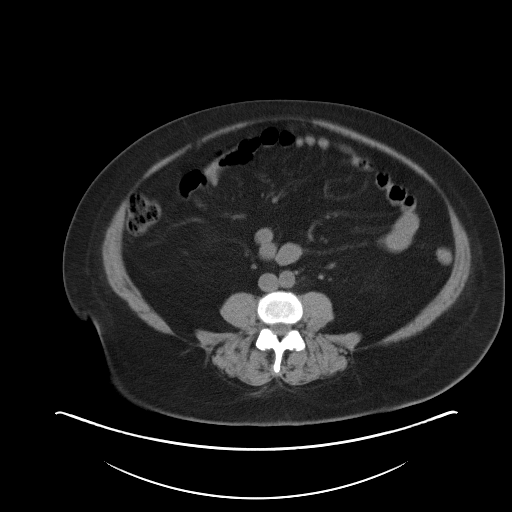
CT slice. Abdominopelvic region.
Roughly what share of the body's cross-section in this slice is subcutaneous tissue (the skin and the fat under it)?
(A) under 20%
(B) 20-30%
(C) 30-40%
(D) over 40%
Answer: (C) 30-40%
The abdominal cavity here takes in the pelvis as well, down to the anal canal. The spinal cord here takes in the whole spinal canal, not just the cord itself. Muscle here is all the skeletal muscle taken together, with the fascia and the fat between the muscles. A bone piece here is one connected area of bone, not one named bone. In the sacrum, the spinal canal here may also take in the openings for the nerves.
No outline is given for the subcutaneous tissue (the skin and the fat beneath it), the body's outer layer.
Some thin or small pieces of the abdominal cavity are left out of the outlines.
Outlined structures:
bones: [[277,290],[290,291],[301,301],[303,313],[294,326],[299,331],[305,347],[299,351],[286,349],[282,354],[279,372],[275,373],[272,367],[275,359],[274,351],[271,348],[261,350],[256,347],[255,342],[259,331],[264,326],[257,314],[258,300],[263,295]], around a hole outlined by [[277,323],[283,323],[284,324],[286,324],[290,326],[290,328],[289,330],[283,336],[281,336],[280,337],[278,336],[275,333],[273,332],[273,331],[270,327],[271,325],[273,325]]
torso: [[264,98],[335,101],[393,117],[447,149],[481,188],[502,242],[504,311],[484,357],[447,390],[419,403],[346,420],[232,426],[145,411],[116,397],[105,384],[97,332],[72,311],[62,279],[64,240],[80,198],[113,157],[155,127],[203,108]]
muscle: [[281,115],[292,115],[293,116],[302,116],[307,118],[317,118],[339,124],[342,126],[352,129],[368,137],[375,139],[382,143],[384,143],[417,163],[435,180],[447,196],[454,209],[454,211],[456,213],[467,234],[469,239],[470,253],[471,254],[470,273],[462,292],[451,307],[440,315],[428,327],[414,336],[404,340],[401,340],[398,342],[392,343],[387,346],[379,346],[355,352],[353,354],[353,362],[350,364],[344,373],[332,383],[328,385],[320,386],[314,389],[295,389],[286,386],[275,379],[273,379],[264,385],[261,385],[257,387],[238,387],[235,386],[229,381],[225,380],[206,361],[204,351],[201,348],[192,346],[174,336],[160,332],[154,329],[141,319],[130,308],[125,300],[122,299],[113,291],[107,281],[106,274],[103,267],[102,254],[101,253],[101,248],[104,239],[105,231],[115,211],[118,208],[121,201],[124,198],[129,189],[154,163],[174,152],[187,143],[191,142],[197,138],[199,138],[205,134],[207,134],[221,127],[230,125],[240,121],[249,120],[253,118],[267,117],[268,116],[280,116]]; inner edge: [[278,120],[347,136],[422,176],[447,208],[454,259],[413,319],[369,343],[322,331],[331,300],[300,294],[305,347],[286,349],[275,373],[274,351],[255,345],[257,296],[237,291],[220,306],[236,330],[190,339],[132,281],[122,236],[129,197],[154,172]]
spinal cord: [[277,323],[283,323],[284,324],[286,324],[290,326],[290,328],[289,330],[283,336],[281,336],[280,337],[278,336],[275,333],[273,332],[273,331],[270,327],[271,325],[273,325]]
abdominal cavity: [[278,120],[309,122],[376,148],[422,176],[445,203],[454,243],[449,277],[413,319],[380,339],[360,344],[358,331],[322,331],[335,317],[328,296],[283,289],[232,293],[219,314],[236,330],[197,328],[190,339],[126,270],[126,209],[144,180],[193,146]]